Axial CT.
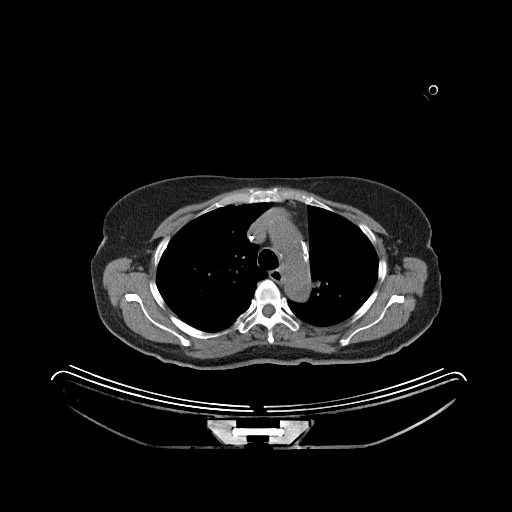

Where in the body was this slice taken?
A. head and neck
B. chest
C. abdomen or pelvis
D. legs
B. chest
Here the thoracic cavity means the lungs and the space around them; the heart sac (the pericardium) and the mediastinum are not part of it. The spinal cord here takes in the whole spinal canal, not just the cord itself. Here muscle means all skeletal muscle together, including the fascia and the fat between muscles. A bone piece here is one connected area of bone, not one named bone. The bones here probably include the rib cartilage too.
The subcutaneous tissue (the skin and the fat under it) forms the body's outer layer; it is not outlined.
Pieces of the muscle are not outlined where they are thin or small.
Outlined structures:
muscle 1: 155,247 155,279 148,282 153,298 162,309 166,305 175,314 171,313 169,319 179,330 204,340 232,331 245,334 259,324 266,329 266,339 272,344 272,329 279,323 293,332 300,328 302,321 320,327 348,318 353,323 375,301 379,292 374,289 375,285 385,279 388,263 389,272 393,273 406,256 420,258 426,263 427,278 423,294 406,323 380,338 349,343 355,334 378,323 393,303 404,302 402,294 393,293 374,320 338,340 343,347 338,351 324,353 269,344 203,359 187,355 177,344 149,340 134,332 109,300 102,282 106,264 125,256 146,271 150,251; inner edge: 126,293 135,293 137,294 140,297 147,313 155,321 176,331 179,334 188,339 190,341 190,345 188,346 182,345 180,340 175,335 160,328 151,322 144,314 140,304 137,301 127,301 126,300 125,298 125,294
muscle 2: 277,186 289,186 306,190 326,199 351,205 368,214 377,221 389,235 381,236 387,254 387,261 387,259 383,256 378,258 375,249 376,235 365,223 360,221 355,224 338,213 334,208 312,195 308,195 292,188
muscle 3: 272,186 274,186 271,188 264,189 255,189 248,187 245,190 243,191 225,195 195,213 192,218 171,237 169,234 163,236 156,246 157,239 152,241 149,240 159,224 166,217 183,206 205,201 220,193 235,189 244,187 260,187 268,188
bones 1: 264,279 271,280 277,286 289,308 301,321 296,331 283,323 275,324 271,329 272,343 267,339 267,329 259,323 245,333 232,330 204,339 183,332 170,319 172,314 199,330 221,331 228,328 249,307 258,282 with a hole at 267,304 270,304 272,306 273,306 273,307 274,308 274,312 271,315 270,315 269,316 266,316 264,314 263,314 263,313 262,312 262,309 264,307 264,306 265,305 266,305
bones 2: 275,186 280,188 292,189 308,196 312,196 334,209 336,212 312,205 307,205 301,201 286,199 283,201 275,202 228,204 193,218 195,214 225,196 243,192 248,188 252,188 255,190 259,189 264,190 271,189
bones 3: 126,293 135,293 137,294 140,297 147,313 155,321 176,331 179,334 188,339 190,341 190,345 188,346 182,345 180,340 175,335 160,328 151,322 144,314 140,304 137,301 127,301 126,300 125,298 125,294
bones 4: 393,294 402,295 404,297 403,302 401,303 399,302 393,302 386,309 384,315 378,322 355,333 351,337 347,345 345,346 340,345 339,343 339,340 340,339 346,338 357,328 367,325 374,321 380,315 385,305
bones 5: 375,289 377,289 378,292 377,293 377,295 376,296 374,301 371,304 371,305 369,307 369,308 359,318 358,318 355,321 354,321 353,322 350,322 350,318 351,317 351,316 363,304 363,303 369,297 369,296
bones 6: 167,235 169,235 170,236 170,240 168,242 168,244 166,248 164,250 159,260 159,262 156,268 154,265 154,253 155,252 156,247 159,241 163,237
bones 7: 151,280 155,280 155,282 156,283 157,288 159,291 159,293 161,295 161,296 163,298 163,299 165,302 165,308 164,309 163,308 162,308 157,303 156,300 154,298 154,297 150,290 150,288 149,287 149,282
bones 8: 383,257 384,258 385,258 386,259 386,261 387,262 387,266 386,267 386,273 385,274 385,276 384,277 384,279 382,281 382,282 381,282 380,283 378,281 378,263 379,262 379,259 380,259 381,258 382,258
bones 9: 360,222 361,223 363,223 364,224 365,224 373,232 373,233 375,235 375,245 374,246 372,244 372,243 369,240 369,239 365,235 365,234 360,229 360,228 357,225 357,224 358,223 359,223
mediastinum: 286,200 301,202 307,206 309,235 308,262 313,286 309,298 305,302 296,302 287,299 282,295 278,286 271,279 266,278 267,273 259,267 256,262 258,245 251,242 246,234 249,226 270,207 270,203 283,202
spinal cord: 267,304 270,304 272,306 273,306 273,307 274,308 274,312 271,315 270,315 269,316 266,316 264,314 263,314 263,313 262,312 262,309 264,307 264,306 265,305 266,305
torso: 195,174 350,175 400,190 421,207 431,225 431,246 441,273 442,301 438,314 410,344 393,354 363,363 257,363 229,369 195,369 166,363 132,348 107,329 95,306 90,263 102,239 102,220 116,200 139,186
thoracic cavity 1: 254,203 270,204 248,226 245,233 249,241 257,245 255,262 266,273 266,277 257,282 248,307 228,327 218,331 205,331 190,325 179,318 166,304 156,282 158,265 171,238 190,220 203,214 228,205
thoracic cavity 2: 308,206 337,213 356,225 374,247 378,259 377,280 371,293 349,317 330,325 320,326 303,321 297,317 288,304 288,300 296,303 305,303 310,298 311,292 314,286 311,278 309,262 310,235 308,221